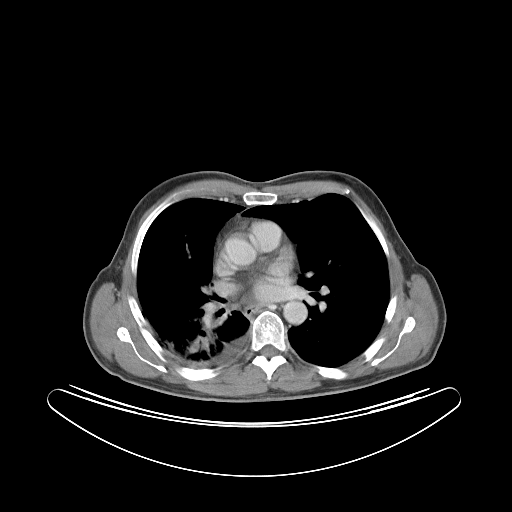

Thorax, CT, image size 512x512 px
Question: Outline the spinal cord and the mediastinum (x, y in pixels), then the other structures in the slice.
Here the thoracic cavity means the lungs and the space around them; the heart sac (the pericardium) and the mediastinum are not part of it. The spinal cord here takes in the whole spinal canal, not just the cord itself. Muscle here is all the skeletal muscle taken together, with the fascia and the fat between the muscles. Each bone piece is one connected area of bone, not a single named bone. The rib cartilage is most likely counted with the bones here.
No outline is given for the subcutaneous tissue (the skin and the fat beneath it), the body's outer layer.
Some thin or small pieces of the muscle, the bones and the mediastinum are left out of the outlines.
Answer: spinal cord: 266,345 271,345 272,346 273,346 278,351 278,352 277,353 277,354 276,354 275,355 274,355 273,356 272,356 269,358 267,358 264,355 263,355 262,354 261,354 260,353 260,350 264,346 265,346
mediastinum 1: 298,258 301,272 296,281 302,288 301,295 308,314 308,317 300,325 287,329 282,318 277,313 267,309 261,311 249,321 239,310 234,309 228,303 225,297 246,299 265,305 273,304 288,297 294,288 297,277
mediastinum 2: 242,211 243,211 241,213 241,214 243,217 252,217 246,217 245,218 237,218 233,220 231,222 230,222 217,236 216,240 216,237 217,236 218,232 221,229 221,228 227,221 227,220 228,220 238,212 241,212
torso: 313,169 342,171 365,182 382,201 413,256 433,274 445,303 446,326 428,365 337,394 235,403 150,390 123,381 97,363 82,328 86,294 98,272 110,262 133,207 148,190 189,171 219,170 251,181 265,181
pericardium: 246,218 264,218 275,222 285,232 295,246 295,252 297,257 297,268 293,288 288,296 280,300 277,300 273,303 265,304 246,298 223,296 217,292 215,287 215,277 213,266 214,252 218,236 233,221 237,219
muscle: 203,179 223,179 258,190 306,180 332,180 349,186 381,221 406,277 419,273 430,287 438,309 438,325 428,352 405,365 344,379 348,376 341,368 344,364 359,355 364,363 376,366 396,350 403,335 416,325 415,318 408,315 394,345 375,357 386,340 378,334 384,321 388,324 392,320 398,295 390,296 386,239 373,218 344,195 350,192 349,188 281,203 276,203 276,192 262,190 243,192 242,202 212,197 179,200 181,194 190,190 185,189 171,193 146,216 132,244 130,271 136,279 137,300 131,294 126,299 152,351 164,363 165,351 181,365 175,371 189,381 216,377 222,366 235,362 248,346 253,354 250,363 259,367 269,382 274,371 288,362 287,356 292,359 295,353 311,363 322,377 339,380 295,392 268,390 223,396 160,378 137,376 107,359 96,347 90,330 90,309 97,289 109,281 120,286 122,267 145,211 176,187 with a hole at 121,326 125,327 128,330 130,337 138,353 142,357 157,365 162,365 167,371 166,372 163,372 157,369 155,367 148,364 146,362 144,362 141,360 135,353 132,346 128,342 122,341 118,337 116,332 117,329
bones 1: 266,310 277,314 281,318 287,330 287,339 294,351 294,353 292,354 292,358 287,355 287,362 279,365 273,371 269,381 267,380 265,372 259,366 251,363 254,354 252,353 249,347 251,342 250,322 261,312; inner edge: 266,345 271,345 272,346 273,346 278,351 278,352 277,353 277,354 276,354 275,355 274,355 273,356 272,356 269,358 267,358 264,355 263,355 262,354 261,354 260,353 260,350 264,346 265,346
bones 2: 185,190 189,190 181,193 179,195 177,201 166,207 153,220 146,231 139,250 139,255 137,261 137,271 136,272 136,278 135,278 131,271 131,258 132,257 134,240 139,227 147,216 167,197 174,192 179,192
bones 3: 408,316 412,316 414,318 415,325 411,331 406,332 402,335 399,344 395,350 376,365 371,365 369,361 364,362 364,358 360,355 378,336 384,336 385,340 374,355 375,358 383,356 395,345 399,333
bones 4: 128,295 133,296 138,302 141,312 149,324 149,326 148,327 149,330 164,350 163,355 166,359 166,362 164,362 159,358 159,357 149,346 142,335 139,329 139,327 130,309 130,307 128,303 128,300 127,299
bones 5: 177,366 183,366 184,367 189,367 190,368 193,368 194,369 200,369 201,368 215,368 219,366 221,366 221,367 219,370 219,373 214,377 208,378 207,379 203,379 202,380 189,380 181,376 176,371 175,368
bones 6: 247,191 262,191 263,192 272,192 273,193 276,193 278,196 278,198 277,199 276,202 273,204 258,204 257,205 248,205 247,204 244,203 242,200 242,195 243,194 243,193 244,193
bones 7: 121,326 125,327 128,330 130,337 138,353 142,357 157,365 162,365 167,371 166,372 163,372 157,369 155,367 148,364 146,362 144,362 141,360 135,353 132,346 128,342 122,341 118,337 116,332 117,329
bones 8: 356,204 359,205 364,210 364,211 372,218 372,219 375,222 381,231 385,239 385,241 387,245 387,248 389,252 389,257 388,259 387,259 385,255 385,253 382,248 382,246 378,240 376,235 356,206
bones 9: 311,364 315,364 316,365 319,365 320,366 324,366 325,367 336,367 337,368 340,368 347,372 347,376 343,379 335,379 334,378 326,378 325,377 322,376 320,374 319,374 317,372 317,371 312,367
bones 10: 393,294 396,294 397,295 397,300 396,301 396,305 395,306 395,310 394,311 394,313 391,318 391,320 388,323 387,323 384,320 384,317 385,316 386,309 387,308 387,306 388,305 388,303 389,302 390,297
thoracic cavity 1: 327,193 343,195 355,205 381,246 389,276 389,299 376,337 360,354 340,367 320,365 301,358 288,339 288,330 300,326 309,317 302,295 303,288 297,281 302,272 297,244 275,221 242,214 258,205 310,200
thoracic cavity 2: 188,198 219,199 243,207 243,210 227,219 216,234 212,250 211,285 234,310 239,311 248,320 250,342 235,361 215,367 194,368 184,366 174,359 154,336 138,300 138,261 145,235 154,220 166,208